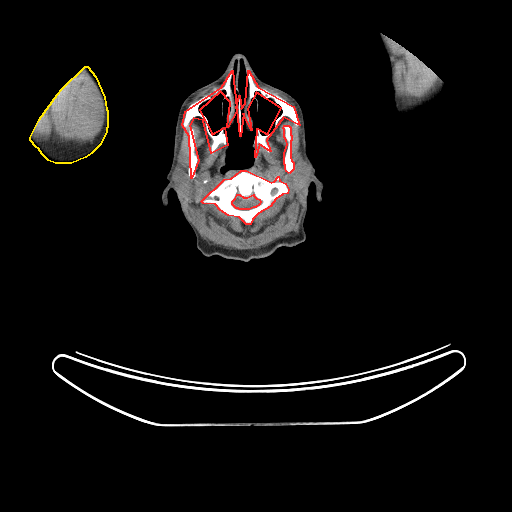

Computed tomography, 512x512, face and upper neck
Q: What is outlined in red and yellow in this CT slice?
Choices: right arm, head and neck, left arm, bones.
A: red: bones; yellow: right arm.
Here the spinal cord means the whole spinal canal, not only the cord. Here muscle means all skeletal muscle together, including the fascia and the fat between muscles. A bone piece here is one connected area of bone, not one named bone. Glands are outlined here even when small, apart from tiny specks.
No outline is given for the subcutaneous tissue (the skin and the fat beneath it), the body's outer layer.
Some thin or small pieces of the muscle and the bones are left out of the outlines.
Outlines (x, y in pixels):
bones 1: (232, 70) (236, 108) (239, 95) (241, 108) (245, 103) (248, 70) (258, 87) (293, 106) (299, 125) (283, 117) (266, 140) (270, 151) (259, 144) (255, 157) (257, 128) (267, 134) (281, 108) (256, 92) (247, 108) (251, 130) (243, 113) (240, 136) (237, 109) (227, 127) (230, 102) (220, 91) (199, 110) (212, 134) (224, 127) (227, 145) (211, 153) (203, 120) (193, 118) (189, 125) (198, 160) (191, 178) (189, 136) (182, 125) (185, 111) (221, 87)
bones 2: (241, 170) (246, 170) (271, 182) (274, 181) (278, 176) (279, 180) (285, 183) (288, 189) (287, 193) (282, 194) (275, 199) (270, 206) (258, 213) (252, 219) (250, 224) (246, 224) (239, 217) (228, 215) (220, 210) (215, 204) (203, 203) (201, 201) (224, 179) (231, 178); inner edge: (237, 194) (239, 194) (243, 197) (247, 197) (253, 194) (253, 195) (256, 198) (259, 199) (260, 202) (259, 204) (255, 207) (253, 207) (249, 209) (239, 209) (238, 208) (236, 208) (232, 204) (232, 201) (235, 198)
bones 3: (284, 125) (288, 125) (290, 127) (290, 134) (291, 135) (291, 140) (290, 141) (290, 157) (291, 160) (293, 162) (293, 169) (289, 173) (286, 171) (285, 169) (285, 165) (284, 164) (284, 153) (287, 144) (286, 140) (284, 137) (284, 129) (283, 128)
right arm: (85, 66) (87, 66) (95, 76) (104, 97) (106, 109) (107, 110) (107, 127) (106, 128) (106, 132) (99, 145) (91, 153) (85, 157) (71, 163) (55, 163) (48, 160) (42, 154) (38, 148) (36, 147) (30, 140) (30, 137) (39, 119) (57, 94) (62, 88)
parotid glands 1: (176, 167) (179, 167) (185, 170) (187, 174) (187, 176) (188, 177) (189, 182) (190, 183) (190, 191) (189, 192) (189, 194) (188, 196) (184, 199) (183, 199) (183, 198) (181, 197) (181, 196) (178, 193) (174, 185) (173, 176) (174, 175) (174, 172) (176, 169)
parotid glands 2: (303, 160) (306, 163) (307, 165) (307, 167) (309, 169) (309, 171) (310, 172) (310, 178) (311, 179) (310, 181) (307, 184) (307, 187) (304, 193) (302, 192) (299, 186) (295, 184) (295, 179) (294, 178) (294, 172) (299, 165) (299, 164) (301, 162) (301, 161)
spinal cord: (237, 194) (239, 194) (243, 197) (247, 197) (253, 194) (253, 195) (256, 198) (259, 199) (260, 202) (259, 204) (255, 207) (253, 207) (249, 209) (239, 209) (238, 208) (236, 208) (232, 204) (232, 201) (235, 198)
muscle 1: (196, 117) (202, 120) (211, 141) (211, 154) (220, 145) (227, 146) (220, 171) (240, 170) (224, 178) (200, 201) (215, 205) (246, 225) (289, 191) (278, 175) (271, 181) (245, 169) (254, 163) (257, 146) (267, 153) (271, 151) (267, 140) (285, 117) (295, 127) (299, 126) (303, 159) (293, 178) (303, 194) (303, 204) (296, 234) (248, 250) (209, 245) (201, 237) (183, 201) (191, 191) (189, 177) (194, 179) (197, 175) (199, 157) (195, 130) (190, 125) with a hole at (284, 125) (288, 125) (290, 127) (290, 134) (291, 135) (291, 140) (290, 141) (290, 157) (291, 160) (293, 162) (293, 169) (289, 173) (286, 171) (285, 169) (285, 165) (284, 164) (284, 153) (287, 144) (286, 140) (284, 137) (284, 129) (283, 128)
muscle 2: (82, 69) (84, 70) (93, 83) (102, 102) (104, 118) (103, 119) (103, 125) (100, 132) (91, 142) (85, 142) (73, 146) (52, 146) (51, 145) (47, 145) (41, 141) (36, 140) (31, 134) (34, 130) (39, 119) (62, 88) (63, 88) (64, 86) (65, 86) (66, 84)
muscle 3: (388, 39) (395, 42) (407, 50) (413, 56) (417, 58) (424, 66) (431, 70) (440, 79) (437, 84) (427, 94) (420, 98) (411, 98) (410, 99) (405, 99) (399, 97) (397, 95) (393, 77) (394, 75) (393, 74) (394, 73) (394, 62) (395, 61) (389, 50)
muscle 4: (181, 123) (181, 125) (182, 126) (183, 127) (183, 128) (186, 131) (187, 131) (187, 135) (188, 136) (188, 153) (189, 154) (189, 164) (187, 168) (187, 173) (185, 169) (179, 166) (177, 166) (177, 164) (178, 163) (178, 153) (179, 152) (180, 144) (181, 143) (181, 138) (182, 137) (182, 129) (181, 128)
muscle 5: (222, 84) (223, 84) (219, 87) (215, 87) (213, 89) (212, 92) (210, 92) (209, 93) (207, 93) (203, 95) (198, 99) (194, 101) (192, 101) (188, 105) (188, 104) (192, 100) (192, 99) (198, 93) (204, 90) (206, 90) (213, 86) (219, 86)
muscle 6: (257, 85) (259, 85) (260, 86) (263, 86) (264, 87) (266, 87) (267, 88) (272, 89) (275, 91) (277, 91) (278, 92) (285, 95) (290, 100) (290, 101) (292, 103) (292, 104) (276, 92) (272, 92) (270, 90) (269, 90) (265, 87) (262, 87) (261, 86) (258, 86)
left arm: (381, 35) (385, 36) (388, 39) (395, 42) (407, 50) (413, 56) (417, 58) (424, 66) (431, 70) (443, 82) (444, 86) (440, 94) (435, 101) (429, 106) (407, 114) (401, 114) (396, 111) (394, 106) (393, 88) (390, 79) (391, 75) (390, 61) (382, 43) (380, 36)
head and neck: (237, 52) (246, 56) (260, 79) (298, 102) (303, 114) (306, 153) (315, 175) (323, 182) (321, 201) (316, 197) (315, 186) (312, 183) (308, 188) (303, 221) (305, 240) (248, 261) (203, 255) (176, 193) (169, 190) (167, 205) (162, 202) (181, 104) (193, 91) (219, 77), around holes outlined by (220, 92) (229, 102) (226, 127) (232, 127) (236, 109) (240, 137) (243, 114) (247, 130) (252, 130) (254, 122) (248, 108) (257, 99) (256, 93) (281, 111) (267, 133) (256, 128) (253, 163) (244, 169) (221, 171) (228, 148) (225, 127) (212, 133) (208, 118) (200, 110) and by (241, 61) (242, 61) (245, 69) (245, 74) (247, 80) (246, 96) (242, 108) (243, 98) (240, 94) (238, 95) (236, 107) (235, 105) (235, 96) (234, 95) (234, 89) (231, 85) (231, 81) (234, 72) (233, 70) (234, 66) (236, 64) (236, 73) (234, 76) (234, 90) (235, 91) (236, 91) (237, 93) (240, 92) (239, 62)